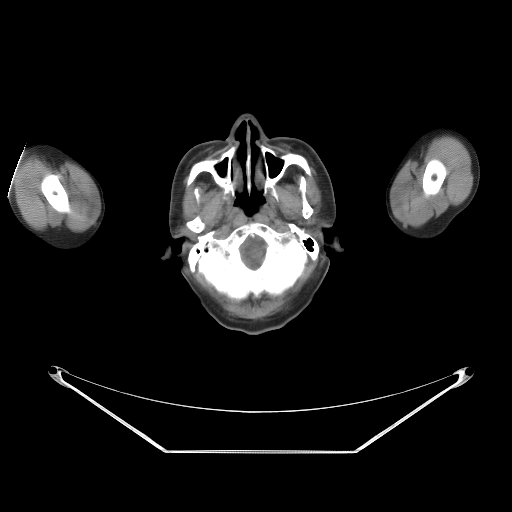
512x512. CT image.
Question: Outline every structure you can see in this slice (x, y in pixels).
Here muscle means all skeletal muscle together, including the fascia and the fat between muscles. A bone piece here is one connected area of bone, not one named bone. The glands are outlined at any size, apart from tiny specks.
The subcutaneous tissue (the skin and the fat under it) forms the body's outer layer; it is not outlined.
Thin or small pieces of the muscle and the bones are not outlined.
Answer: {"head":[{"outer":[[245,112],[269,137],[299,138],[316,151],[336,204],[324,237],[338,234],[344,249],[325,248],[330,265],[308,307],[285,326],[260,334],[221,326],[188,286],[181,260],[161,259],[168,244],[177,253],[183,241],[168,227],[180,159],[198,143],[224,139]],"holes":[[[243,122],[245,123],[246,144],[244,170],[246,190],[250,193],[252,189],[251,129],[249,124],[252,124],[257,132],[254,143],[260,152],[265,173],[263,191],[265,203],[251,216],[246,215],[233,202],[237,190],[232,162],[240,149],[240,142],[236,135]],[[268,153],[272,156],[273,156],[275,158],[277,158],[278,159],[281,160],[281,161],[282,162],[282,163],[281,164],[281,167],[280,168],[279,171],[275,175],[274,175],[273,176],[272,176],[270,174],[270,172],[269,171],[269,164],[267,161],[267,154]],[[224,160],[226,160],[226,167],[225,168],[225,173],[224,174],[224,175],[221,175],[220,174],[220,173],[218,171],[218,170],[217,169],[217,168],[216,167],[216,166],[218,164],[219,164],[220,163],[221,163]]]}],"right_arm":[[[32,142],[47,142],[59,147],[83,164],[95,176],[101,185],[105,202],[105,213],[103,220],[100,227],[93,237],[87,243],[79,248],[69,251],[57,251],[46,246],[32,236],[20,225],[11,210],[7,198],[10,191],[12,178],[22,152],[26,146]]],"parotid_glands":[[[178,222],[180,222],[181,223],[183,223],[184,224],[184,225],[185,226],[185,228],[186,229],[186,231],[185,232],[181,232],[180,231],[179,231],[178,232],[176,232],[175,231],[175,229],[176,228],[176,227],[177,226],[177,224],[178,223]],[[317,218],[318,218],[319,218],[320,218],[321,219],[321,220],[320,221],[319,221],[318,221],[317,221],[316,220],[316,219]]],"brain":[[[255,236],[257,236],[261,238],[263,240],[263,241],[265,243],[265,250],[264,251],[264,255],[263,256],[263,258],[259,265],[255,268],[252,268],[248,266],[243,261],[242,259],[242,256],[241,255],[241,252],[240,251],[240,247],[248,237],[254,237]]],"left_arm":[[[437,125],[445,125],[453,127],[461,131],[469,138],[472,142],[478,155],[479,165],[480,166],[480,180],[477,192],[470,204],[451,222],[447,229],[442,234],[433,239],[419,240],[402,233],[392,223],[386,211],[385,191],[392,174],[412,143],[424,131]]],"muscle":[{"outer":[[262,140],[270,144],[289,144],[303,150],[312,159],[324,197],[322,216],[317,217],[316,222],[309,227],[315,237],[304,227],[291,221],[286,224],[288,230],[285,231],[278,231],[264,222],[249,221],[234,228],[224,238],[218,238],[214,235],[214,229],[201,233],[206,225],[198,214],[185,223],[176,218],[179,189],[189,160],[206,148],[225,145],[229,141],[237,145],[233,144],[218,157],[205,157],[191,165],[185,186],[188,187],[200,173],[207,172],[222,189],[223,197],[227,194],[233,197],[233,205],[248,217],[254,215],[266,203],[265,195],[268,193],[278,199],[275,186],[289,166],[297,165],[311,177],[311,168],[302,154],[293,151],[278,154],[272,148],[259,143]],"holes":[[[302,175],[304,176],[305,178],[305,181],[306,182],[306,186],[305,187],[305,196],[308,203],[313,209],[313,213],[308,218],[304,218],[302,216],[302,213],[301,212],[302,211],[302,199],[301,198],[301,193],[299,190],[299,182],[300,181],[300,176]],[[195,188],[197,188],[197,189],[198,190],[198,193],[199,194],[199,202],[198,203],[197,202],[197,201],[196,200],[196,198],[195,197],[195,194],[194,193],[194,190],[195,189]]]},{"outer":[[28,151],[33,151],[41,154],[47,160],[69,160],[82,168],[90,176],[98,190],[100,198],[100,203],[101,204],[99,219],[92,228],[82,234],[72,234],[59,231],[42,232],[35,230],[26,223],[23,219],[15,201],[13,181],[18,164],[23,154]],"hole":[[50,173],[54,175],[59,175],[59,180],[65,189],[66,193],[68,196],[68,200],[69,201],[69,205],[70,206],[70,212],[69,213],[66,213],[65,212],[58,212],[55,210],[48,202],[41,190],[40,185],[41,184],[42,179],[47,174],[49,174]]},{"outer":[[438,134],[452,135],[458,138],[467,148],[471,157],[471,169],[473,174],[473,184],[471,191],[462,203],[456,206],[450,206],[443,213],[438,217],[434,218],[425,226],[419,228],[406,228],[392,213],[389,198],[391,186],[398,172],[410,156],[429,139]],"hole":[[431,159],[438,159],[440,161],[441,161],[445,166],[446,170],[447,171],[447,173],[439,189],[439,191],[435,195],[430,195],[429,196],[425,196],[424,195],[423,189],[422,188],[422,178],[423,177],[423,174],[424,173],[426,165],[429,161],[429,160]]},[[320,251],[323,258],[322,266],[296,305],[286,313],[259,323],[232,321],[224,317],[193,282],[186,269],[188,265],[192,273],[199,273],[219,294],[229,299],[237,301],[249,297],[258,299],[263,294],[279,296],[293,287],[303,275],[309,259],[315,261]],[[187,229],[188,229],[191,232],[193,232],[194,233],[197,234],[197,236],[196,237],[196,241],[195,242],[194,242],[191,245],[191,246],[190,247],[190,244],[191,244],[194,241],[194,240],[191,236],[190,236],[187,233],[186,233],[186,232],[187,231]]],"bones":[{"outer":[[197,215],[205,225],[200,233],[214,230],[213,235],[218,239],[224,239],[249,222],[264,223],[278,232],[288,231],[287,224],[291,222],[316,239],[319,252],[315,260],[308,259],[293,286],[281,294],[232,299],[189,268],[188,252],[198,234],[185,224]],"hole":[[255,236],[257,236],[261,238],[263,240],[263,241],[265,243],[265,250],[264,251],[264,255],[263,256],[263,258],[259,265],[255,268],[252,268],[248,266],[243,261],[242,259],[242,256],[241,255],[241,252],[240,251],[240,247],[248,237],[254,237]]},{"outer":[[233,145],[239,146],[237,154],[232,158],[231,162],[234,187],[236,190],[234,197],[229,193],[227,193],[224,197],[223,189],[214,181],[212,175],[207,171],[200,172],[194,180],[188,186],[186,186],[189,171],[194,163],[205,158],[218,158],[222,153]],"hole":[[224,160],[226,160],[226,167],[225,168],[225,173],[224,174],[224,175],[221,175],[220,174],[220,173],[218,171],[218,170],[217,169],[217,168],[216,167],[216,166],[218,164],[219,164],[220,163],[221,163]]},{"outer":[[258,144],[262,144],[272,149],[278,155],[282,155],[288,152],[302,155],[308,163],[311,176],[306,174],[304,170],[297,164],[291,164],[286,168],[282,177],[274,186],[278,197],[277,199],[269,192],[265,194],[266,173],[261,152],[256,146]],"hole":[[268,153],[272,156],[273,156],[275,158],[277,158],[278,159],[281,160],[281,161],[282,162],[282,163],[281,164],[281,167],[280,168],[279,171],[275,175],[274,175],[273,176],[272,176],[270,174],[270,172],[269,171],[269,164],[267,161],[267,154]]},[[50,173],[54,175],[59,175],[59,180],[65,189],[66,193],[68,196],[68,200],[69,201],[69,205],[70,206],[70,212],[69,213],[66,213],[65,212],[58,212],[55,210],[48,202],[41,190],[40,185],[41,184],[42,179],[47,174],[49,174]],[[431,159],[438,159],[440,161],[441,161],[445,166],[446,170],[447,171],[447,173],[439,189],[439,191],[435,195],[430,195],[429,196],[425,196],[424,195],[423,189],[422,188],[422,178],[423,177],[423,174],[424,173],[426,165],[429,161],[429,160]],[[302,175],[304,176],[305,178],[305,181],[306,182],[306,186],[305,187],[305,196],[308,203],[313,209],[313,213],[308,218],[304,218],[302,216],[302,213],[301,212],[302,211],[302,199],[301,198],[301,193],[299,190],[299,182],[300,181],[300,176]],[[246,139],[249,139],[249,142],[250,143],[250,171],[251,172],[251,189],[250,190],[250,192],[248,192],[248,191],[247,190],[247,186],[246,185],[246,183],[247,182],[247,178],[245,175],[245,170],[246,169],[246,160],[247,159],[247,144],[246,143]]]}